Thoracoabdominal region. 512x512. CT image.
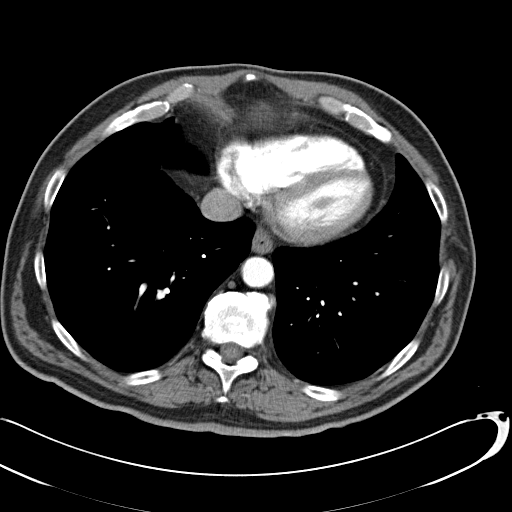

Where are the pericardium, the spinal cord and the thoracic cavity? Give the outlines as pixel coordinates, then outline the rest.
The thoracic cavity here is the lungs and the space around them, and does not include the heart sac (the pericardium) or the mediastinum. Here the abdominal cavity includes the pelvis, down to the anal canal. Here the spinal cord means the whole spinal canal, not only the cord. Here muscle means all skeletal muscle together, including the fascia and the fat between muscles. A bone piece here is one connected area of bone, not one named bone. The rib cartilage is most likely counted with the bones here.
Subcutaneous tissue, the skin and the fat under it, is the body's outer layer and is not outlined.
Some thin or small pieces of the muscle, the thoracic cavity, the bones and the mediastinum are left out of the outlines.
Outlines:
pericardium: 261 112; 292 112; 312 116; 317 120; 329 123; 343 130; 367 148; 377 158; 385 177; 385 187; 379 211; 359 228; 324 244; 296 246; 280 241; 262 223; 256 214; 242 206; 239 200; 220 185; 215 174; 214 153; 219 139; 238 123
spinal cord: 229 342; 235 343; 239 346; 242 347; 244 349; 243 355; 241 357; 237 359; 234 363; 232 363; 231 364; 229 364; 223 361; 223 358; 219 350; 220 349; 220 346; 222 344; 228 343
thoracic cavity 1: 171 117; 184 138; 206 158; 209 173; 166 168; 170 179; 205 218; 229 222; 247 217; 254 231; 247 256; 207 300; 199 338; 191 339; 183 353; 159 367; 125 373; 94 358; 57 318; 43 252; 50 212; 68 172; 97 144; 134 124
thoracic cavity 2: 397 153; 405 157; 423 182; 440 222; 438 258; 440 267; 431 304; 415 335; 387 364; 369 376; 334 387; 305 382; 278 363; 265 342; 276 307; 273 253; 282 246; 313 247; 324 245; 363 228; 385 207; 392 193; 395 184; 395 158
muscle: 241 69; 325 82; 360 96; 417 149; 447 187; 461 244; 462 276; 451 332; 438 358; 372 400; 302 421; 268 420; 220 403; 229 401; 227 393; 238 376; 258 367; 256 347; 266 343; 273 359; 304 382; 300 390; 307 396; 340 400; 343 392; 335 387; 363 380; 385 365; 375 378; 379 381; 413 356; 421 343; 415 336; 450 282; 449 268; 439 260; 441 225; 448 220; 440 188; 428 177; 422 180; 391 144; 387 127; 330 95; 320 95; 317 105; 304 103; 271 83; 255 81; 258 77; 248 72; 244 82; 192 99; 195 86; 185 81; 164 99; 140 103; 114 117; 101 131; 102 140; 68 171; 60 166; 45 187; 43 208; 49 221; 43 250; 33 255; 33 271; 39 288; 48 291; 56 316; 50 325; 57 338; 81 360; 88 360; 83 349; 126 374; 122 379; 129 386; 161 379; 160 367; 200 338; 210 344; 200 359; 221 383; 217 402; 170 408; 114 391; 34 355; 19 342; 12 325; 10 300; 28 222; 40 187; 67 148; 158 84
torso: 223 63; 330 72; 387 92; 429 129; 460 187; 474 239; 476 272; 457 345; 426 383; 361 421; 313 434; 278 437; 156 425; 100 407; 36 377; 13 359; 4 341; 0 281; 6 239; 28 178; 51 140; 88 103; 124 80; 167 68
bones 1: 227 291; 260 292; 273 299; 274 305; 269 311; 270 324; 264 342; 252 350; 258 361; 257 367; 238 375; 226 393; 228 401; 218 402; 216 398; 223 393; 222 383; 218 373; 201 359; 211 344; 201 338; 199 333; 208 300; inner edge: 229 342; 235 343; 239 346; 242 347; 244 349; 243 355; 241 357; 237 359; 234 363; 232 363; 231 364; 229 364; 223 361; 223 358; 219 350; 220 349; 220 346; 222 344; 228 343
bones 2: 185 82; 191 83; 194 86; 194 92; 189 98; 181 100; 176 103; 172 104; 167 112; 157 118; 134 123; 107 136; 103 139; 102 137; 102 131; 114 118; 140 104; 150 102; 154 100; 164 100; 170 92; 176 87
bones 3: 320 96; 330 96; 344 103; 356 106; 369 115; 376 122; 384 126; 391 132; 392 134; 392 140; 391 142; 390 143; 384 143; 378 140; 372 135; 370 135; 351 125; 345 121; 342 118; 341 115; 334 115; 325 111; 318 105; 317 99
bones 4: 414 337; 417 337; 418 338; 419 338; 420 339; 420 343; 419 344; 417 349; 412 355; 412 356; 403 365; 402 365; 398 369; 397 369; 389 375; 388 375; 379 380; 377 380; 376 379; 376 378; 386 367; 386 366; 388 364; 388 363
bones 5: 305 383; 308 383; 309 384; 312 384; 313 385; 316 385; 317 386; 323 386; 324 387; 336 388; 340 390; 342 392; 343 396; 340 399; 338 399; 334 401; 322 401; 321 400; 318 400; 315 398; 313 398; 307 395; 301 390; 301 387
bones 6: 52 318; 56 318; 63 326; 63 327; 76 341; 76 342; 82 349; 82 352; 86 357; 87 360; 83 360; 79 357; 76 356; 62 343; 62 342; 58 338; 58 337; 56 335; 55 332; 52 328; 52 326; 51 325; 51 319
bones 7: 60 167; 63 167; 65 168; 66 169; 67 173; 55 196; 55 198; 52 203; 52 205; 50 208; 50 210; 49 211; 46 211; 44 208; 44 194; 45 193; 45 190; 48 184; 48 182; 51 178; 52 175; 54 174; 55 172; 60 168
bones 8: 427 178; 430 179; 439 188; 444 198; 444 200; 446 204; 446 208; 447 209; 447 220; 446 222; 443 224; 441 224; 441 222; 440 221; 439 216; 436 211; 436 209; 431 200; 431 198; 428 193; 428 191; 424 183; 424 181
bones 9: 155 368; 159 368; 159 369; 163 374; 161 378; 155 381; 149 382; 148 383; 144 383; 143 384; 138 384; 137 385; 129 385; 127 384; 123 379; 123 377; 129 373; 138 372; 139 371; 145 371; 146 370; 150 370; 151 369; 154 369
bones 10: 444 264; 446 264; 449 271; 449 282; 448 283; 447 290; 440 303; 437 306; 433 307; 431 305; 432 304; 432 302; 434 298; 434 295; 435 294; 435 290; 436 289; 436 286; 437 285; 437 281; 438 280; 439 271; 440 270; 441 266
bones 11: 37 250; 40 250; 42 251; 43 253; 44 266; 45 267; 45 277; 46 278; 46 285; 47 286; 47 289; 45 290; 43 290; 40 288; 38 284; 38 282; 36 279; 36 276; 35 275; 35 272; 34 271; 34 255; 35 254; 35 252
abdominal cavity 1: 191 102; 201 102; 204 103; 210 107; 216 109; 221 116; 221 132; 214 148; 214 152; 211 163; 208 163; 207 158; 201 151; 185 138; 179 130; 179 128; 175 122; 175 118; 173 116; 168 117; 168 115; 173 107; 181 104; 190 103
abdominal cavity 2: 166 169; 186 169; 190 172; 192 172; 193 173; 198 173; 199 174; 206 175; 207 176; 207 184; 206 185; 205 191; 201 196; 200 199; 198 200; 198 202; 194 202; 193 198; 171 179; 170 176; 166 172
mediastinum 1: 250 82; 271 84; 393 146; 399 152; 394 158; 393 188; 384 207; 381 209; 381 205; 386 177; 378 158; 343 129; 312 115; 261 111; 238 122; 221 137; 221 114; 201 101; 175 105; 166 118; 150 121; 181 101; 213 96; 231 85
mediastinum 2: 213 158; 219 185; 242 207; 256 215; 280 242; 295 246; 279 246; 271 256; 275 279; 275 307; 271 322; 270 311; 274 307; 275 301; 273 298; 263 292; 227 290; 212 296; 248 256; 255 231; 254 223; 247 216; 215 221; 200 211; 196 203; 206 191; 209 164